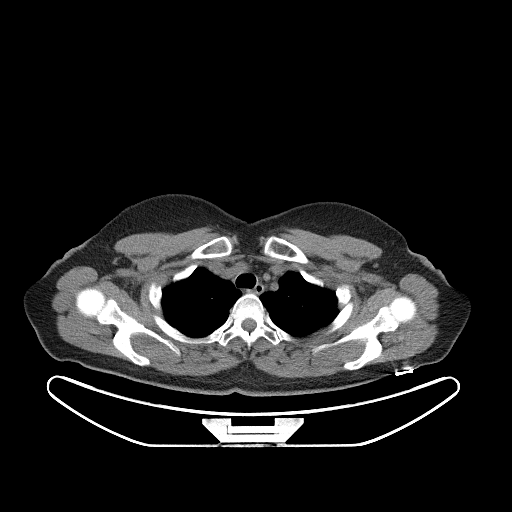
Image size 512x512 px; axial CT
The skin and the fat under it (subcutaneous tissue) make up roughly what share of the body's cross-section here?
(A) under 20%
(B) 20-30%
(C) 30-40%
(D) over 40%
Answer: (C) 30-40%
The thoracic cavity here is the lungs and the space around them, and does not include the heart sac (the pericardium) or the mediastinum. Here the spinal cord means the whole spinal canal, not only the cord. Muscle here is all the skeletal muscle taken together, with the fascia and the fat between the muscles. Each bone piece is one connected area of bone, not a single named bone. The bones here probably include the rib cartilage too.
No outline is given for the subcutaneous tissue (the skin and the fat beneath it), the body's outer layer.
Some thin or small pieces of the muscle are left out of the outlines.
The left arm is outlined by [[415,252],[425,256],[436,268],[439,268],[447,281],[452,286],[463,290],[469,296],[471,301],[471,312],[469,318],[451,350],[442,360],[431,364],[426,364],[420,361],[404,345],[391,317],[389,308],[389,293],[395,280],[395,277],[405,260],[411,254]]. The thoracic cavity appears in 2 outlined pieces: piece 1: [[200,266],[206,268],[216,276],[224,280],[230,281],[240,291],[241,295],[235,300],[229,309],[226,319],[221,325],[206,335],[190,336],[170,324],[164,318],[164,314],[162,310],[162,291],[164,287],[169,285],[172,282],[180,281],[189,277],[195,269]]; piece 2: [[290,270],[297,271],[308,283],[322,288],[325,287],[334,291],[337,307],[339,309],[336,315],[327,325],[305,336],[294,336],[278,326],[272,320],[270,314],[264,306],[259,296],[264,292],[277,290],[279,286],[278,283],[279,279],[287,271]]. The bones appear in 9 outlined pieces: piece 1: [[246,293],[253,293],[259,297],[271,320],[293,336],[293,341],[281,340],[275,345],[261,336],[248,348],[246,343],[236,336],[224,346],[216,341],[191,344],[168,336],[158,327],[153,318],[155,314],[162,317],[187,336],[203,337],[225,322],[236,300]]; inner edge: [[248,318],[249,318],[250,319],[252,319],[255,322],[255,327],[251,331],[248,331],[247,330],[246,330],[244,328],[243,328],[243,327],[242,326],[242,323],[243,322],[243,321],[244,320],[245,320],[246,319],[247,319]]; piece 2: [[86,287],[95,287],[107,298],[115,300],[128,315],[170,340],[179,349],[180,355],[154,337],[138,332],[130,336],[131,345],[150,363],[140,366],[130,361],[112,342],[117,330],[113,324],[101,324],[94,317],[85,317],[78,311],[76,294]]; piece 3: [[399,295],[407,295],[414,301],[415,316],[393,331],[378,334],[377,338],[382,346],[378,357],[358,369],[343,368],[345,362],[362,353],[365,342],[361,339],[348,340],[312,353],[312,346],[331,343],[347,335],[355,327],[372,319],[382,306],[389,304]]; piece 4: [[271,235],[275,235],[278,237],[280,237],[297,246],[305,254],[308,259],[308,262],[305,264],[302,264],[299,262],[296,262],[295,261],[288,261],[287,260],[284,260],[279,258],[274,258],[264,254],[263,252],[264,244],[266,241],[266,239]]; piece 5: [[222,235],[224,235],[228,237],[230,239],[230,241],[232,244],[232,251],[229,255],[227,256],[223,256],[222,257],[214,257],[213,258],[199,258],[198,259],[195,259],[194,260],[193,260],[190,257],[190,254],[197,247],[216,237],[218,237]]; piece 6: [[341,284],[348,284],[350,286],[350,294],[351,295],[350,297],[350,301],[353,303],[353,308],[350,316],[342,326],[333,332],[326,333],[327,330],[329,328],[329,324],[337,315],[340,309],[338,307],[337,297],[335,294],[335,290],[336,288]]; piece 7: [[152,282],[154,282],[156,284],[157,284],[158,285],[160,285],[162,288],[162,290],[161,291],[161,310],[158,310],[157,309],[156,309],[153,306],[153,305],[151,303],[151,302],[149,300],[149,298],[148,297],[148,288],[149,287],[149,285]]; piece 8: [[192,263],[196,263],[197,264],[197,267],[194,269],[194,270],[189,275],[189,276],[183,279],[181,279],[180,280],[177,280],[176,281],[173,281],[172,280],[173,278],[173,276],[175,273],[176,273],[178,271],[180,271],[182,270],[184,268],[185,268]]; piece 9: [[300,268],[303,269],[308,273],[309,273],[310,274],[311,274],[312,275],[313,275],[314,276],[321,279],[323,281],[324,286],[323,286],[322,287],[321,286],[319,286],[316,284],[314,284],[313,283],[308,282],[302,276],[302,275],[299,272],[299,269]]. The torso is outlined by [[169,192],[202,197],[247,221],[321,200],[349,203],[384,219],[405,237],[414,252],[404,260],[389,289],[390,317],[403,345],[425,365],[333,391],[248,396],[177,391],[76,362],[58,361],[86,338],[106,300],[105,275],[99,260],[78,245],[127,205]]. The spinal cord is outlined by [[248,318],[249,318],[250,319],[252,319],[255,322],[255,327],[251,331],[248,331],[247,330],[246,330],[244,328],[243,328],[243,327],[242,326],[242,323],[243,322],[243,321],[244,320],[245,320],[246,319],[247,319]]. The right arm is outlined by [[75,246],[81,247],[87,250],[98,260],[104,275],[105,300],[103,308],[98,319],[95,324],[89,330],[85,338],[69,354],[56,360],[52,358],[41,346],[36,334],[25,314],[22,299],[24,292],[28,286],[42,276],[54,260],[60,258],[65,252]]. The muscle is outlined by [[203,226],[235,232],[246,241],[284,226],[372,242],[383,250],[374,273],[395,283],[407,273],[417,273],[438,289],[441,312],[436,340],[413,356],[365,366],[382,354],[379,334],[393,332],[416,316],[415,301],[399,294],[347,334],[311,346],[314,355],[348,341],[363,341],[361,353],[345,361],[343,371],[284,378],[243,363],[206,376],[174,375],[147,366],[150,359],[135,350],[131,336],[145,334],[177,356],[180,349],[124,311],[115,299],[95,286],[86,286],[75,294],[77,311],[101,325],[113,325],[116,330],[111,342],[129,361],[69,344],[58,335],[50,310],[51,292],[64,272],[86,265],[100,275],[112,273],[129,265],[113,250],[117,240],[134,233],[176,233]], around holes outlined by [[245,257],[298,272],[301,268],[333,291],[348,284],[350,316],[333,332],[326,333],[328,324],[275,345],[262,336],[249,348],[239,336],[224,346],[171,338],[154,321],[153,315],[164,314],[149,300],[149,285],[169,285],[175,273],[192,263],[199,267]] and by [[271,235],[275,235],[278,237],[280,237],[297,246],[305,254],[308,259],[308,262],[305,264],[302,264],[299,262],[296,262],[295,261],[288,261],[287,260],[284,260],[279,258],[274,258],[264,254],[263,252],[264,244],[266,241],[266,239]] and by [[222,235],[224,235],[228,237],[230,239],[230,241],[232,244],[232,251],[229,255],[227,256],[223,256],[222,257],[214,257],[213,258],[199,258],[198,259],[195,259],[194,260],[193,260],[190,257],[190,254],[197,247],[216,237],[218,237]]. The mediastinum is outlined by [[245,257],[249,259],[255,259],[266,263],[273,263],[283,265],[291,269],[287,270],[278,279],[277,289],[264,291],[259,295],[257,295],[253,292],[246,292],[242,294],[241,291],[230,280],[224,279],[216,275],[206,267],[203,266],[211,262],[231,261]].